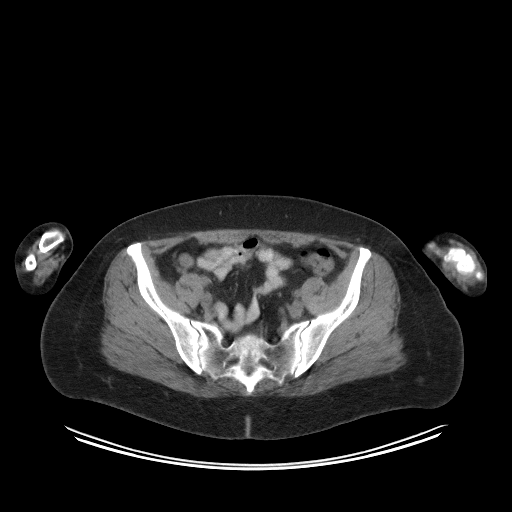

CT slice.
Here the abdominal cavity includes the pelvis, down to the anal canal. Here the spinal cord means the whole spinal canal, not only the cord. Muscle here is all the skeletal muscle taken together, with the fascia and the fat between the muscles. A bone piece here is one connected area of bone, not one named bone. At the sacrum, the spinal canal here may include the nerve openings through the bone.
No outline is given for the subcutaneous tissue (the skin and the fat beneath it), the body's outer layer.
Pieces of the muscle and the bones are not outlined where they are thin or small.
right arm: 48 221; 58 221; 61 222; 68 228; 73 239; 73 249; 70 256; 63 265; 58 276; 57 281; 54 286; 44 295; 37 297; 33 297; 25 293; 22 290; 18 283; 14 269; 14 254; 18 245; 22 239; 31 229; 41 223
abdominal cavity: 252 235; 294 248; 316 241; 346 260; 329 283; 321 276; 310 276; 297 290; 311 318; 291 323; 275 342; 250 331; 226 345; 216 323; 192 318; 204 295; 202 276; 186 272; 172 283; 160 274; 156 256; 192 238; 200 244; 234 244
left arm: 439 229; 450 230; 456 232; 463 236; 472 243; 484 260; 487 268; 487 286; 484 293; 479 297; 476 298; 470 298; 464 295; 460 291; 456 289; 442 274; 436 266; 422 253; 420 249; 420 247; 422 244; 427 240; 435 230; 438 230
torso: 238 193; 314 199; 367 216; 393 231; 439 288; 460 325; 464 367; 456 394; 436 408; 396 409; 307 435; 260 440; 193 434; 102 403; 74 399; 58 392; 50 384; 42 366; 41 326; 52 300; 91 248; 113 227; 141 213; 187 200
spinal cord 1: 246 363; 252 363; 253 364; 253 370; 249 374; 247 374; 246 373; 246 372; 245 371; 245 370; 244 369; 244 365
spinal cord 2: 262 359; 263 359; 264 359; 265 359; 266 360; 267 361; 268 362; 269 363; 270 364; 271 365; 272 366; 272 367; 271 368; 270 368; 269 368; 268 367; 267 366; 266 365; 265 364; 264 363; 263 362; 262 362; 261 361; 261 360
spinal cord 3: 234 358; 235 358; 236 358; 237 358; 238 359; 238 360; 237 361; 236 361; 235 362; 234 362; 233 363; 232 363; 231 364; 230 364; 229 363; 229 362; 230 361; 231 360; 232 359; 233 359
bones 1: 138 241; 161 300; 184 316; 216 324; 226 346; 250 332; 275 343; 291 324; 333 310; 346 292; 358 248; 368 248; 371 257; 355 308; 312 365; 280 385; 264 378; 249 394; 237 380; 199 375; 183 361; 168 325; 139 292; 126 253; inner edges: 246 363; 252 363; 253 364; 253 370; 249 374; 247 374; 246 373; 246 372; 245 371; 245 370; 244 369; 244 365, then 262 359; 263 359; 264 359; 265 359; 266 360; 267 361; 268 362; 269 363; 270 364; 271 365; 272 366; 272 367; 271 368; 270 368; 269 368; 268 367; 267 366; 266 365; 265 364; 264 363; 263 362; 262 362; 261 361; 261 360
bones 2: 450 247; 458 247; 459 248; 462 248; 469 254; 470 254; 475 263; 475 267; 476 269; 481 272; 481 278; 479 280; 477 279; 473 274; 462 274; 460 273; 456 269; 455 264; 453 261; 445 261; 443 259; 443 255; 444 255; 447 252
bones 3: 56 229; 61 231; 63 233; 63 234; 65 236; 65 239; 62 242; 61 242; 56 246; 53 247; 51 249; 48 250; 46 252; 44 252; 43 253; 42 252; 39 252; 39 240; 40 239; 40 237; 41 236; 42 233; 47 230; 55 230
bones 4: 30 253; 33 253; 35 255; 35 260; 36 261; 36 265; 35 266; 35 268; 33 270; 32 270; 31 271; 27 271; 25 269; 25 259; 26 258; 26 257; 28 255; 28 254; 29 254
muscle 1: 222 228; 322 233; 370 246; 388 261; 398 283; 397 327; 406 362; 391 372; 345 382; 312 395; 212 398; 178 391; 109 365; 100 351; 103 281; 111 261; 126 246; 140 296; 165 322; 178 355; 197 375; 205 373; 214 381; 231 378; 242 384; 249 395; 264 379; 280 386; 288 376; 298 378; 319 358; 332 332; 359 302; 363 272; 372 251; 366 246; 357 248; 357 258; 340 302; 313 317; 298 290; 310 277; 321 277; 329 284; 347 260; 324 243; 315 240; 294 247; 287 242; 270 243; 256 234; 234 243; 200 243; 192 237; 155 256; 159 274; 172 284; 186 273; 203 279; 203 295; 191 318; 160 297; 140 241; 183 231
muscle 2: 443 237; 450 237; 459 241; 468 246; 474 252; 482 270; 485 273; 486 279; 484 282; 473 287; 469 291; 466 291; 449 278; 440 265; 440 262; 435 259; 427 250; 427 248; 433 249; 436 246; 436 244; 431 241; 435 241 with a hole at 450 247; 458 247; 459 248; 462 248; 469 254; 470 254; 475 263; 475 267; 476 269; 481 272; 481 278; 479 280; 477 279; 473 274; 462 274; 460 273; 456 269; 455 264; 453 261; 445 261; 443 259; 443 255; 444 255; 447 252
muscle 3: 39 237; 38 240; 38 252; 39 253; 43 254; 46 253; 63 242; 65 244; 65 250; 64 251; 64 256; 60 263; 46 278; 44 282; 41 285; 37 286; 33 285; 31 277; 27 273; 23 272; 21 270; 21 257; 27 251; 34 241; inner edge: 30 253; 33 253; 35 255; 35 260; 36 261; 36 265; 35 266; 35 268; 33 270; 32 270; 31 271; 27 271; 25 269; 25 259; 26 258; 26 257; 28 255; 28 254; 29 254